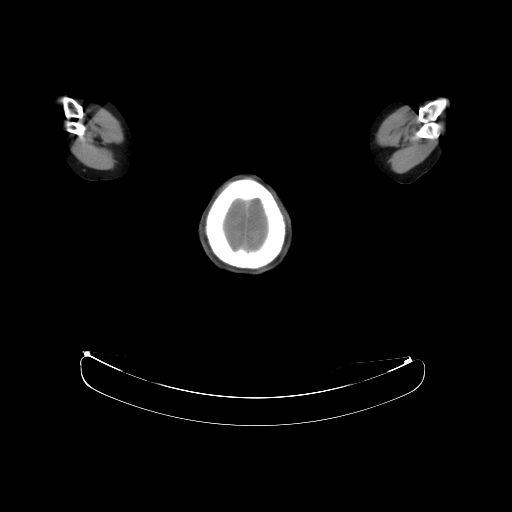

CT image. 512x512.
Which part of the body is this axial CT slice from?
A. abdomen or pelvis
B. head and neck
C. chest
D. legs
B. head and neck
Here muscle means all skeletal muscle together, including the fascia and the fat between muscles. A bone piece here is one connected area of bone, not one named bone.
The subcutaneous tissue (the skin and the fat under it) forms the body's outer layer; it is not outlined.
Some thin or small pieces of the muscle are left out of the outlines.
The bones appear in 3 outlined pieces: piece 1: 245,176 250,176 258,180 264,184 274,194 280,209 284,215 284,219 286,223 286,235 284,244 280,253 276,258 267,265 256,269 235,267 218,259 212,252 208,244 204,230 205,217 209,205 217,193 234,179; inner edge: 255,199 257,199 259,201 259,203 265,216 265,220 266,221 266,233 265,234 265,236 260,245 254,249 246,249 241,246 237,248 234,248 229,242 224,229 224,223 226,219 226,216 232,204 236,200 250,201; piece 2: 441,97 445,97 449,101 449,104 446,106 445,109 436,120 440,125 440,132 437,138 417,139 414,133 423,124 420,121 417,121 418,112 421,109 421,106 424,105 425,102 427,101 431,101; piece 3: 64,96 73,98 78,104 80,104 82,106 83,115 79,120 85,127 85,131 82,138 72,132 67,131 66,129 66,126 65,125 66,118 64,115 64,112 62,108 62,104 57,102 60,97 63,97. The right arm is outlined by 64,91 67,92 86,91 97,94 113,103 125,117 131,132 132,163 128,171 121,177 112,180 96,180 95,181 86,180 81,178 74,173 66,163 54,137 52,128 51,114 49,110 49,107 55,97 58,94. The left arm is outlined by 415,94 428,94 435,96 447,94 453,101 454,104 450,112 449,130 442,150 442,153 439,159 428,172 422,175 416,181 412,183 403,184 389,179 382,173 373,161 368,148 368,131 374,118 387,105 400,98. The muscle appears in 6 outlined pieces: piece 1: 76,98 104,107 119,121 124,139 123,157 117,166 106,170 89,168 80,163 71,153 69,144 57,124 57,103 61,104 66,131 82,139 86,131 85,125 80,121 84,115 84,109 83,106 75,100; piece 2: 422,99 434,99 425,101 417,112 416,121 422,124 413,133 416,139 437,139 441,132 441,125 437,120 445,110 445,130 436,147 421,163 405,173 397,173 387,164 384,152 374,142 374,134 383,120 396,109; piece 3: 276,196 281,203 287,215 287,218 289,223 289,239 287,242 287,246 284,252 279,256 283,249 283,247 285,244 285,241 286,240 286,236 287,235 287,223 285,219 285,215 281,209 281,207 277,200; piece 4: 207,209 206,213 205,214 205,216 204,217 204,225 203,226 203,230 204,231 204,235 205,236 207,244 211,252 215,257 214,257 208,251 204,243 204,240 202,237 202,233 201,232 202,221 204,217 204,214; piece 5: 241,175 243,175 244,176 241,176 240,177 237,177 236,178 234,178 233,180 228,182 223,187 222,187 216,193 215,195 216,193 216,190 227,180 229,179 232,179 237,176 240,176; piece 6: 277,257 278,257 277,258 277,259 276,259 273,262 272,262 268,266 266,266 265,267 264,267 263,268 263,267 264,267 265,266 267,266 271,262 272,262 275,259 276,259 277,258. The head is outlined by 239,172 255,173 261,176 269,183 275,189 283,201 283,203 291,216 293,225 292,245 289,253 283,263 267,273 256,276 236,275 218,269 204,255 197,237 198,220 202,210 207,203 210,196 214,190 226,179. The brain is outlined by 255,199 257,199 259,201 259,203 265,216 265,220 266,221 266,233 265,234 265,236 260,245 254,249 246,249 241,246 237,248 234,248 229,242 224,229 224,223 226,219 226,216 232,204 236,200 250,201.